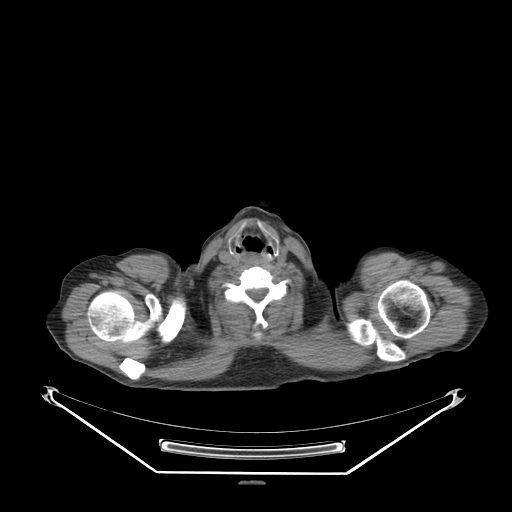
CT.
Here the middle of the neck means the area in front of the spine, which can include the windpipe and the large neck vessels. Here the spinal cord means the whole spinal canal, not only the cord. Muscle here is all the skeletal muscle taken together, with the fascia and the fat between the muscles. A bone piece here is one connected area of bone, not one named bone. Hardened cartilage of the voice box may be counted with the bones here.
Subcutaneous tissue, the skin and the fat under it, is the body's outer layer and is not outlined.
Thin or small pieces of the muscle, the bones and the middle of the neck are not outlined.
bones 1: 106,290 116,290 124,296 132,305 135,318 142,322 149,317 144,300 147,293 159,299 163,316 173,299 183,296 186,301 183,324 167,344 161,342 156,330 157,322 136,340 103,340 91,330 87,310 93,297
bones 2: 400,279 407,279 421,287 427,294 427,297 429,302 429,306 430,307 430,318 427,325 422,331 412,336 410,338 400,338 394,335 383,322 379,316 378,314 378,311 377,310 377,301 381,292 388,285
bones 3: 253,265 265,268 278,280 285,278 290,280 287,283 286,294 281,299 269,302 262,311 267,322 266,328 262,328 260,324 254,328 256,318 254,310 243,302 227,301 224,295 226,287 223,283 232,281 244,269 with a hole at 259,288 266,288 267,289 267,292 266,293 266,294 263,297 263,298 262,299 261,299 259,301 255,301 253,299 252,299 247,294 247,293 246,292 247,291 247,290 249,290 250,289 258,289
bones 4: 356,318 364,318 370,320 383,338 394,342 405,352 406,357 405,359 400,361 392,361 391,362 384,361 381,360 377,356 376,354 377,347 375,343 372,343 365,346 354,342 350,338 347,332 345,323 351,319
bones 5: 126,357 130,357 131,358 132,358 135,360 137,360 140,362 142,362 145,365 145,371 140,376 139,379 138,379 137,380 133,380 132,379 129,378 119,368 119,364 124,359 124,358 125,358
bones 6: 257,220 259,220 261,222 264,228 266,229 275,238 276,238 278,240 278,247 279,248 278,255 276,256 274,255 274,252 275,251 275,247 276,246 275,241 271,237 270,235 266,234 261,229 261,228 257,223
bones 7: 244,221 245,221 246,222 245,223 244,226 236,234 236,235 232,239 231,244 232,245 232,247 233,248 234,253 233,254 231,254 229,252 229,244 228,243 228,240 237,231 237,230 242,225 242,224
left arm: 415,250 426,250 447,258 464,272 477,280 485,292 489,303 488,319 474,341 469,346 460,351 450,351 435,354 415,347 401,341 390,334 377,322 373,315 372,303 377,289 393,272 399,258 403,254 412,252
middle of the neck: 252,221 255,221 260,229 274,241 273,255 275,257 279,255 279,243 287,248 283,263 273,261 263,263 242,262 238,266 234,266 218,259 219,252 228,245 228,252 231,255 235,253 232,244 233,239 248,222
right arm: 99,254 110,255 113,260 116,262 127,275 134,292 134,298 136,306 136,321 131,329 115,343 88,355 76,358 70,358 58,347 48,331 45,325 45,316 48,310 58,300 61,282 65,274 72,267 78,263
spinal cord: 259,288 266,288 267,289 267,292 266,293 266,294 263,297 263,298 262,299 261,299 259,301 255,301 253,299 252,299 247,294 247,293 246,292 247,291 247,290 249,290 250,289 258,289
torso: 381,245 406,252 376,289 372,315 396,339 435,355 405,367 269,390 181,391 128,387 71,359 115,344 137,321 132,283 109,254 169,253 183,267 187,308 203,333 226,351 262,358 300,331 324,278 332,292
head and neck: 252,204 261,205 276,213 305,240 311,253 313,265 317,272 323,277 299,331 292,338 280,344 262,357 244,356 226,350 215,344 193,319 186,301 185,289 184,268 198,259 200,248 205,239 224,225 241,208
muscle 1: 248,212 261,212 303,246 313,285 312,316 327,311 331,322 345,327 354,343 375,344 376,356 388,362 377,360 355,370 320,370 261,346 240,349 229,368 214,378 138,380 146,371 142,361 124,357 118,364 123,375 68,347 60,315 71,289 90,273 107,273 115,262 131,254 166,256 171,267 168,290 186,295 191,315 197,319 196,274 203,252, around holes outlined by 106,290 116,290 124,296 132,305 135,318 142,322 149,317 144,300 147,293 159,299 163,316 173,299 183,296 186,301 183,324 167,344 161,342 156,330 157,322 136,340 103,340 91,330 87,310 93,297 and by 253,265 265,268 278,280 285,278 290,280 287,283 286,294 281,299 269,302 262,311 267,322 266,328 262,328 260,324 254,328 256,318 254,310 243,302 227,301 224,295 226,287 223,283 232,281 244,269 and by 257,220 261,222 262,225 278,240 280,244 284,245 287,248 285,261 281,264 273,261 263,263 242,262 238,266 221,262 217,256 219,252 229,244 228,240 237,231 243,222 244,221 247,223 252,221 256,222 and by 255,331 256,331 257,331 258,331 259,331 260,331 261,332 261,333 262,334 261,335 261,336 260,337 259,337 258,338 257,337 256,337 255,337 254,336 253,335 253,334 253,333 254,332
muscle 2: 385,251 395,252 406,258 441,261 445,263 454,279 474,292 475,299 470,317 470,325 468,330 458,341 406,358 406,352 394,341 383,337 370,319 356,317 346,321 341,300 359,287 357,277 362,260 366,256; inner edge: 400,279 407,279 421,287 427,294 427,297 429,302 429,306 430,307 430,318 427,325 422,331 412,336 410,338 400,338 394,335 383,322 379,316 378,314 378,311 377,310 377,301 381,292 388,285